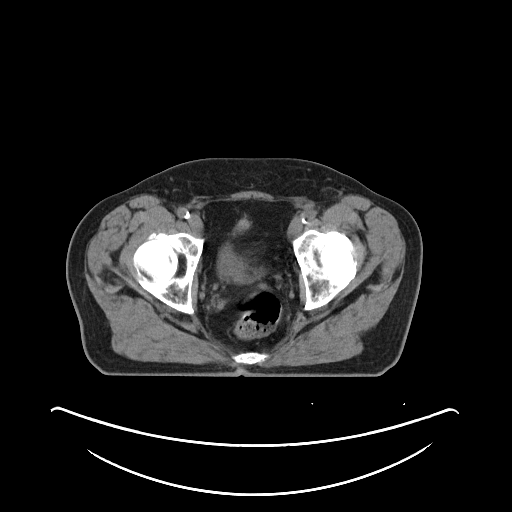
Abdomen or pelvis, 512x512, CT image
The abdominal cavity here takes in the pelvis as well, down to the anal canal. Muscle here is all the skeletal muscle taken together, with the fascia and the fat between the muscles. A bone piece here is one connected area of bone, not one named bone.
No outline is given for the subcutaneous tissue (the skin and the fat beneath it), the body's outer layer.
bones 1: 152 232; 156 233; 164 232; 167 234; 185 232; 191 234; 193 236; 201 237; 204 239; 203 249; 194 271; 191 284; 191 303; 194 311; 193 314; 183 313; 169 306; 144 289; 136 280; 134 275; 135 269; 132 262; 132 256; 136 248
bones 2: 308 229; 316 229; 320 232; 325 232; 329 230; 337 230; 343 232; 351 240; 355 248; 357 253; 358 264; 357 270; 353 279; 328 303; 317 308; 310 310; 304 310; 303 307; 305 303; 305 287; 301 276; 301 271; 293 251; 292 240
bones 3: 247 351; 255 351; 256 352; 259 352; 260 353; 267 353; 269 354; 269 356; 262 362; 260 362; 259 363; 258 362; 257 363; 254 363; 253 364; 237 363; 232 358; 232 356; 233 355; 235 355; 236 354; 238 354; 242 352; 246 352
torso: 272 156; 303 158; 332 167; 355 178; 373 191; 398 202; 414 217; 423 244; 421 282; 405 344; 397 362; 375 377; 124 376; 106 375; 95 368; 87 359; 82 347; 79 323; 65 276; 68 244; 81 218; 101 199; 185 161; 205 157
abdominal cavity: 246 199; 288 202; 293 209; 291 219; 286 228; 286 237; 292 247; 293 265; 298 277; 299 309; 287 333; 273 346; 261 351; 239 351; 216 338; 200 320; 197 306; 198 280; 202 267; 201 256; 205 242; 203 237; 204 210; 213 202
muscle: 248 190; 275 196; 305 196; 318 201; 358 194; 394 216; 405 241; 403 275; 363 350; 339 361; 240 368; 213 363; 138 361; 116 353; 111 347; 108 320; 84 276; 87 244; 102 218; 139 194; 185 203; 196 195; 216 196 with a hole at 246 199; 288 202; 291 244; 308 229; 343 232; 358 262; 328 303; 304 310; 294 254; 299 309; 253 364; 237 363; 232 356; 242 352; 199 318; 201 257; 193 314; 144 289; 132 262; 152 232; 202 238; 206 207